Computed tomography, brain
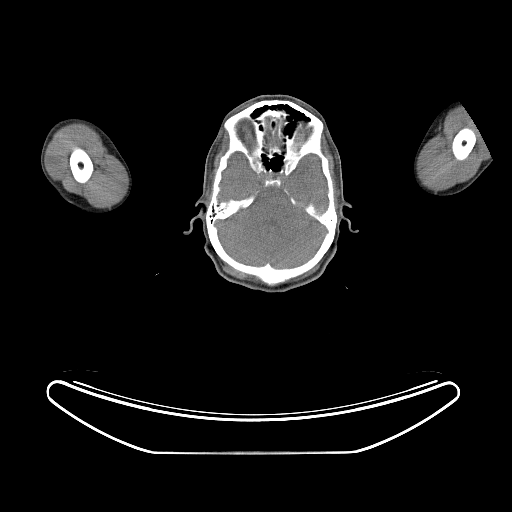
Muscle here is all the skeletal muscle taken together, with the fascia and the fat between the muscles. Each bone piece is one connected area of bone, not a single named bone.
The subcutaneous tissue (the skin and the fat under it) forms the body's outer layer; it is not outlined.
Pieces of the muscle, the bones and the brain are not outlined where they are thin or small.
head: 261,94 294,96 323,115 341,160 343,196 351,205 344,206 343,213 358,230 351,232 343,219 336,252 323,273 276,293 222,277 204,250 199,218 188,234 183,232 201,208 195,202 202,193 205,159 223,117, around holes outlined by 282,106 287,106 291,108 296,112 298,112 302,114 307,119 305,119 304,118 300,118 299,119 297,119 294,122 294,127 290,134 286,132 286,127 290,123 290,121 288,119 290,116 290,113 285,108 282,107 and by 277,157 280,157 281,158 281,160 280,161 280,164 279,165 279,167 277,169 274,169 270,166 269,166 268,167 266,165 266,164 265,163 265,161 264,160 264,158 268,162 270,162 272,160 273,160
muscle 1: 74,122 83,123 93,128 100,136 108,152 115,156 120,161 127,173 128,185 124,196 117,203 109,207 105,208 93,207 82,196 67,191 59,181 54,180 49,175 45,167 44,160 45,152 53,134 60,127, around a hole outlined by 75,147 79,147 80,148 82,148 88,154 92,162 92,164 93,165 93,170 92,171 92,173 88,180 84,183 80,183 76,181 72,174 72,172 70,168 70,165 69,164 69,157 70,156 70,154 73,148
muscle 2: 457,105 463,106 473,121 473,123 479,130 491,157 484,160 480,164 474,175 466,181 457,183 447,189 436,191 426,187 419,179 417,173 417,161 419,154 424,145 432,137 434,129 446,116 447,113; inner edge: 464,127 468,127 472,129 475,133 475,136 476,137 476,139 475,140 475,143 472,149 468,154 467,157 463,160 458,160 455,158 453,154 453,152 452,151 452,142 457,132 460,129
muscle 3: 224,130 226,132 228,138 227,148 219,158 218,165 214,171 213,179 211,184 211,194 210,195 210,199 207,205 205,201 206,200 206,191 208,185 208,175 209,174 209,171 211,168 212,160 222,139
muscle 4: 324,130 326,140 329,145 331,152 333,154 335,162 335,173 337,178 337,186 338,187 338,207 337,208 337,213 337,210 335,206 335,199 334,198 334,183 329,168 329,161 328,158 324,154 322,150 322,137
muscle 5: 219,258 226,264 227,264 235,270 239,271 242,273 247,274 248,275 254,276 258,278 259,279 260,280 263,283 264,283 262,283 261,282 258,282 257,281 254,281 253,280 249,280 248,279 243,279 242,278 239,278 226,272 224,270
muscle 6: 321,260 321,261 319,264 319,266 318,267 318,268 311,274 310,274 303,278 301,278 300,279 298,279 297,280 293,280 292,281 287,281 286,282 285,282 292,278 297,277 298,276 305,273 307,271 310,270
right arm: 70,117 85,118 97,124 112,140 125,160 130,170 132,179 130,193 127,199 119,207 112,211 106,213 90,213 79,209 63,199 59,195 56,190 48,182 42,171 40,164 40,153 43,142 48,131 56,122
left arm: 454,100 457,100 460,102 473,121 473,123 475,124 477,129 479,130 492,158 492,162 473,183 462,191 452,195 446,195 445,196 432,195 422,190 416,183 413,174 413,161 418,146 434,118 444,107
bones 1: 273,99 291,101 315,115 323,123 321,150 327,158 333,183 337,222 331,245 317,263 284,282 269,285 254,275 235,269 217,255 208,237 205,214 211,199 215,171 228,148 229,138 224,128 225,121 255,102 with holes at 236,152 262,177 266,188 280,187 305,156 313,154 319,159 327,204 319,212 309,202 304,211 324,226 325,233 302,263 290,267 275,267 269,262 249,264 224,247 217,222 256,199 254,194 218,199 222,174 and at 282,106 287,106 291,108 296,112 302,114 307,119 305,126 307,128 310,128 310,132 305,138 300,133 300,130 303,126 302,121 299,121 294,126 290,134 286,132 286,127 290,123 288,119 290,116 290,113 and at 242,119 246,119 247,120 248,120 250,122 250,123 252,126 252,129 253,130 253,143 252,144 252,145 251,146 251,147 249,147 243,141 243,140 238,135 238,133 237,132 237,127 236,126 237,125 237,124 and at 277,157 280,157 281,158 281,160 280,161 280,164 279,165 279,167 277,169 274,169 270,166 269,166 268,167 266,165 266,164 265,163 265,161 264,160 264,158 268,162 270,162 272,160 273,160 and at 268,132 269,133 269,134 270,135 270,136 271,137 272,137 273,138 275,138 277,140 277,142 276,141 274,143 272,143 272,142 271,141 270,141 270,140 269,139 268,139
bones 2: 75,147 79,147 80,148 82,148 88,154 92,162 92,164 93,165 93,170 92,171 92,173 88,180 84,183 80,183 76,181 72,174 72,172 70,168 70,165 69,164 69,157 70,156 70,154 73,148
bones 3: 464,127 468,127 472,129 475,133 475,136 476,137 476,139 475,140 475,143 472,149 468,154 467,157 463,160 458,160 455,158 453,154 453,152 452,151 452,142 457,132 460,129
brain: 236,152 262,177 266,188 280,187 305,156 313,154 319,159 327,204 319,212 309,202 304,211 324,226 325,233 302,263 290,267 275,267 269,262 249,264 224,247 217,222 256,199 254,194 218,199 222,174